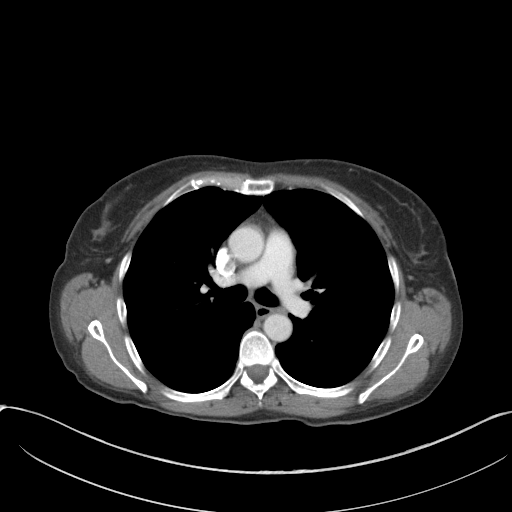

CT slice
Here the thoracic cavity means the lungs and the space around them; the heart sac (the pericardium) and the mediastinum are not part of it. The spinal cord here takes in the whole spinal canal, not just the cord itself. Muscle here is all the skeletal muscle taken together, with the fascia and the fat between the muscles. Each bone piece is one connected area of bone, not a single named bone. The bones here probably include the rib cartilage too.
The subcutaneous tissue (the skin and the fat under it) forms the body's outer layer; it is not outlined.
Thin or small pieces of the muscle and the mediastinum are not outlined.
Outlines (x, y in pixels):
muscle: [[205,170],[247,173],[255,178],[278,172],[322,176],[344,186],[367,202],[378,213],[387,225],[396,242],[397,246],[396,248],[393,249],[393,253],[397,259],[403,273],[404,282],[407,291],[406,292],[407,296],[411,299],[422,288],[431,287],[442,292],[448,298],[451,303],[452,321],[451,322],[451,333],[449,341],[443,351],[441,353],[437,354],[433,358],[433,363],[433,360],[432,359],[431,360],[431,366],[429,369],[429,373],[426,378],[414,391],[410,394],[398,399],[377,404],[375,403],[356,410],[325,418],[311,418],[301,415],[272,411],[267,409],[258,409],[249,413],[236,416],[214,416],[213,415],[198,415],[192,413],[175,412],[166,409],[153,401],[138,397],[131,393],[118,391],[102,385],[95,381],[85,371],[82,365],[80,356],[76,353],[76,350],[67,339],[61,323],[60,295],[65,283],[75,275],[82,272],[90,272],[97,277],[99,280],[103,279],[109,283],[111,281],[111,278],[115,268],[124,251],[124,248],[127,244],[122,241],[123,235],[137,212],[148,201],[178,180],[189,174]] with holes at [[204,176],[268,178],[275,190],[322,191],[321,185],[328,185],[359,208],[385,255],[395,259],[399,286],[393,301],[401,308],[395,328],[385,333],[390,345],[375,368],[369,372],[366,366],[351,380],[354,387],[347,394],[300,394],[280,379],[263,394],[261,405],[255,393],[237,382],[221,399],[182,402],[162,394],[164,384],[134,364],[124,341],[128,324],[121,324],[116,307],[123,295],[121,260],[164,201],[186,182]] and at [[415,333],[418,333],[423,337],[423,343],[421,346],[416,351],[410,353],[406,357],[400,367],[392,375],[375,388],[362,403],[359,404],[358,403],[358,395],[360,393],[363,392],[367,388],[377,382],[382,377],[391,371],[397,365],[405,352],[410,337]] and at [[94,319],[97,319],[101,323],[104,337],[108,343],[115,358],[135,377],[143,381],[146,384],[147,386],[147,390],[145,393],[142,392],[141,390],[128,377],[128,376],[111,359],[105,345],[101,341],[94,338],[90,334],[87,327],[88,326],[88,324]]
thoracic cavity: [[205,186],[248,196],[314,189],[369,224],[394,298],[384,337],[350,381],[304,383],[275,354],[294,331],[289,314],[301,280],[289,233],[262,203],[213,256],[219,277],[254,310],[230,376],[194,393],[164,384],[145,366],[123,296],[133,250],[161,208]]
torso: [[194,153],[253,161],[346,160],[400,181],[428,204],[446,238],[462,304],[463,331],[449,370],[422,403],[349,426],[313,427],[295,420],[235,424],[114,403],[77,381],[54,347],[48,320],[52,278],[77,218],[107,187],[130,172],[160,159]]
mediastinum: [[262,204],[288,233],[296,249],[296,269],[300,280],[297,299],[292,311],[288,314],[292,322],[293,331],[288,339],[274,347],[263,332],[257,329],[248,329],[252,326],[255,319],[254,307],[251,303],[245,302],[235,289],[220,277],[214,256],[229,234]]
bones 1: [[248,330],[265,335],[281,366],[294,379],[318,388],[354,381],[353,389],[337,397],[318,397],[297,393],[280,379],[263,394],[261,405],[255,393],[237,382],[221,399],[182,402],[168,398],[161,393],[161,385],[195,394],[226,381],[235,369],[240,342]], around a hole outlined by [[256,364],[259,364],[260,365],[262,365],[263,366],[266,366],[267,367],[267,375],[260,382],[256,382],[255,381],[254,381],[249,376],[249,375],[248,374],[248,370],[247,369],[248,368],[248,367],[249,367],[250,366],[252,366],[253,365],[255,365]]
bones 2: [[204,176],[215,176],[224,178],[238,177],[242,180],[246,178],[254,179],[268,178],[274,181],[274,189],[271,192],[264,195],[251,194],[248,195],[231,189],[224,189],[216,185],[205,185],[178,196],[162,207],[164,201],[180,186],[191,179],[196,179]]
bones 3: [[415,333],[418,333],[423,337],[423,343],[421,346],[416,351],[410,353],[406,357],[400,367],[392,375],[375,388],[362,403],[359,404],[358,403],[358,395],[360,393],[363,392],[367,388],[377,382],[382,377],[391,371],[397,365],[405,352],[410,337]]
bones 4: [[94,319],[97,319],[101,323],[104,337],[108,343],[115,358],[135,377],[143,381],[146,384],[147,386],[147,390],[145,393],[142,392],[141,390],[128,377],[128,376],[111,359],[105,345],[101,341],[94,338],[90,334],[87,327],[88,326],[88,324]]
bones 5: [[322,184],[324,184],[325,185],[328,185],[340,191],[342,193],[346,195],[359,208],[359,209],[364,215],[364,217],[365,218],[363,218],[359,215],[358,215],[347,205],[346,205],[343,202],[342,202],[334,196],[325,192],[323,190],[321,186]]
bones 6: [[388,335],[389,335],[391,337],[391,342],[390,343],[390,345],[386,353],[384,355],[380,362],[377,365],[377,366],[369,372],[368,371],[368,368],[367,366],[371,358],[373,356],[374,353],[376,351],[377,348],[379,346],[382,340],[386,336]]
bones 7: [[125,334],[128,334],[130,336],[136,348],[136,350],[144,366],[146,368],[145,369],[145,373],[144,374],[143,374],[136,367],[136,366],[134,364],[133,361],[131,359],[128,353],[128,351],[126,348],[126,346],[125,345],[125,342],[124,341],[124,335]]
bones 8: [[388,255],[391,255],[393,256],[395,259],[396,265],[398,269],[399,286],[398,287],[398,291],[397,292],[395,292],[395,290],[394,289],[394,284],[393,283],[393,281],[390,274],[390,271],[389,270],[389,266],[388,265],[388,262],[387,261],[387,256]]
bones 9: [[395,301],[399,301],[400,302],[400,304],[401,305],[401,308],[400,309],[400,314],[399,315],[399,318],[396,324],[396,326],[393,330],[393,331],[390,331],[388,328],[389,327],[389,322],[390,321],[390,316],[391,315],[391,311],[392,310],[392,307]]
bones 10: [[118,296],[122,296],[123,297],[123,299],[124,300],[124,302],[125,303],[125,307],[126,308],[126,325],[125,326],[123,326],[121,324],[121,323],[120,322],[120,320],[119,319],[119,317],[118,316],[118,314],[117,313],[117,308],[116,307],[116,299]]
bones 11: [[129,250],[131,250],[132,251],[132,253],[131,254],[131,258],[129,262],[129,265],[128,266],[127,271],[125,273],[125,275],[123,278],[123,280],[122,282],[120,282],[119,281],[119,267],[120,266],[120,263],[121,262],[121,260],[124,254],[127,251]]
spinal cord: [[256,364],[259,364],[260,365],[262,365],[263,366],[266,366],[267,367],[267,375],[260,382],[256,382],[255,381],[254,381],[249,376],[249,375],[248,374],[248,370],[247,369],[248,368],[248,367],[249,367],[250,366],[252,366],[253,365],[255,365]]